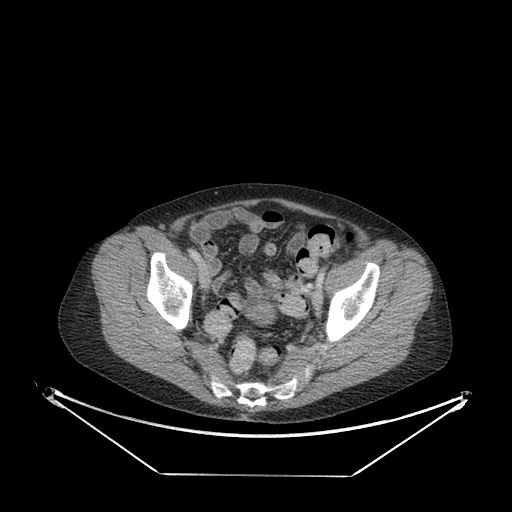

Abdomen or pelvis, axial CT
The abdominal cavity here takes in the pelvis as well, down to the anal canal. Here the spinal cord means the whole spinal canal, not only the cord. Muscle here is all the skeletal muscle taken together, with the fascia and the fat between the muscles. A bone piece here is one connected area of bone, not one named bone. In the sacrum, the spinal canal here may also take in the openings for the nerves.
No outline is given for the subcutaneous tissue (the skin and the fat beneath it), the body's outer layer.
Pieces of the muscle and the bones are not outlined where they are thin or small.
Outlines (x, y in pixels):
abdominal cavity: [[262,202],[275,202],[291,210],[343,223],[354,230],[359,250],[326,273],[324,289],[329,302],[323,335],[309,345],[294,348],[265,382],[236,381],[228,372],[224,358],[194,331],[192,300],[196,294],[197,269],[174,241],[186,222],[196,216]]
spinal cord: [[246,396],[250,396],[251,397],[253,397],[254,396],[258,396],[258,397],[257,398],[256,398],[255,399],[250,399],[249,398],[248,398]]
bones 1: [[368,261],[377,264],[380,270],[375,297],[371,308],[355,327],[346,333],[340,339],[329,342],[328,347],[324,353],[321,353],[320,352],[321,344],[324,344],[327,342],[324,330],[328,316],[330,299],[336,291],[355,282],[363,273],[366,266],[366,262]]
bones 2: [[156,251],[163,252],[165,254],[165,260],[168,267],[177,274],[181,275],[187,279],[191,282],[193,285],[193,292],[192,293],[191,305],[190,306],[190,315],[188,322],[183,329],[178,330],[166,321],[147,299],[146,290],[150,276],[150,258],[151,255]]
bones 3: [[308,364],[313,364],[315,368],[310,379],[298,385],[300,390],[283,400],[268,393],[265,405],[250,407],[239,403],[236,400],[236,389],[232,390],[233,395],[219,398],[208,384],[214,376],[228,385],[229,382],[243,381],[261,381],[278,385],[301,373]]
torso: [[238,182],[286,183],[330,192],[370,209],[407,232],[431,258],[445,288],[453,334],[452,352],[446,365],[426,379],[362,408],[311,422],[274,425],[213,419],[172,410],[136,396],[79,364],[59,336],[57,313],[77,263],[86,248],[150,207],[201,189]]
muscle: [[262,197],[279,197],[317,208],[325,212],[343,217],[358,224],[363,228],[367,229],[367,231],[375,238],[387,238],[394,241],[400,246],[401,244],[403,244],[407,247],[414,248],[425,259],[426,265],[431,273],[434,290],[431,294],[429,307],[424,312],[421,320],[416,326],[414,333],[414,339],[413,343],[411,345],[410,353],[407,356],[406,359],[400,364],[397,365],[395,368],[367,381],[345,388],[341,391],[334,392],[330,395],[316,400],[312,403],[306,404],[300,407],[293,407],[275,411],[268,411],[267,410],[266,411],[259,411],[253,414],[250,414],[247,413],[246,411],[241,411],[232,407],[227,407],[226,408],[200,401],[197,398],[176,385],[144,371],[132,365],[129,362],[123,360],[116,355],[106,343],[101,332],[100,310],[98,300],[94,290],[94,284],[91,278],[91,263],[94,256],[97,253],[99,247],[106,239],[115,234],[117,234],[122,230],[132,225],[135,226],[149,225],[158,228],[161,224],[167,225],[170,222],[182,215],[209,206],[214,206],[234,200],[243,200],[244,199],[252,199]] with a hole at [[262,202],[275,202],[291,210],[343,223],[354,230],[359,250],[326,273],[324,289],[329,302],[336,291],[361,276],[366,262],[377,264],[380,273],[373,304],[355,327],[329,342],[324,353],[320,352],[321,344],[327,342],[324,333],[309,345],[294,348],[269,376],[265,382],[278,385],[313,364],[310,379],[298,385],[301,389],[283,400],[268,393],[265,405],[250,407],[236,400],[236,389],[232,390],[233,395],[220,398],[212,391],[208,384],[212,376],[228,385],[236,381],[228,372],[224,358],[194,331],[192,306],[186,326],[178,330],[147,299],[146,290],[151,255],[160,251],[165,254],[168,267],[191,282],[193,300],[197,269],[174,241],[186,222],[230,206],[248,207]]